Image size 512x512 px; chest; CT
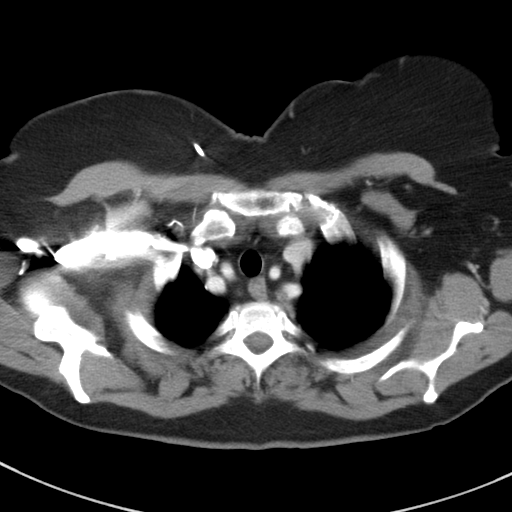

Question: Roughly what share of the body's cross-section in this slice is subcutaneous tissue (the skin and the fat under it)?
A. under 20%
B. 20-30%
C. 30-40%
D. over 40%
Answer: C. 30-40%
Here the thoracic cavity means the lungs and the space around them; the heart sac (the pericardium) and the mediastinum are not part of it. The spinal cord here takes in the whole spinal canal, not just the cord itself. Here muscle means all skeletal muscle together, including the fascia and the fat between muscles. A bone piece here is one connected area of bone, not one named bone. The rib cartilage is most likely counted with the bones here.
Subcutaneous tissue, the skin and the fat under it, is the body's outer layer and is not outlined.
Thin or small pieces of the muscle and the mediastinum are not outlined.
Outlines (x, y in pixels):
mediastinum: (259, 232) (276, 234) (278, 237) (301, 238) (305, 233) (309, 237) (316, 235) (310, 258) (306, 260) (299, 275) (301, 295) (295, 307) (295, 322) (280, 303) (270, 300) (247, 300) (233, 305) (225, 298) (211, 294) (183, 261) (186, 251) (192, 247) (191, 244) (232, 242)
bones 1: (247, 188) (310, 192) (333, 202) (349, 220) (355, 239) (327, 242) (319, 229) (318, 217) (310, 210) (297, 213) (305, 227) (301, 237) (278, 236) (275, 222) (279, 215) (244, 216) (230, 211) (229, 214) (236, 225) (231, 238) (193, 242) (189, 233) (209, 207) (212, 192)
bones 2: (247, 301) (270, 301) (280, 304) (304, 332) (295, 340) (302, 345) (309, 341) (314, 346) (314, 351) (287, 353) (276, 359) (262, 373) (258, 389) (254, 371) (243, 359) (232, 354) (222, 354) (213, 358) (208, 355) (209, 349) (223, 338) (211, 335) (217, 326) (232, 306), around a hole outlined by (255, 332) (260, 332) (261, 333) (266, 334) (272, 340) (272, 343) (269, 347) (268, 347) (265, 350) (261, 352) (259, 352) (258, 353) (256, 353) (252, 351) (248, 347) (248, 346) (245, 343) (244, 341) (244, 340) (248, 336) (249, 336) (251, 334)
bones 3: (28, 286) (46, 288) (55, 301) (67, 309) (72, 319) (97, 335) (97, 342) (113, 355) (114, 360) (87, 351) (82, 355) (80, 382) (90, 398) (90, 403) (81, 404) (76, 401) (60, 373) (59, 364) (63, 355) (60, 345) (35, 337) (34, 319) (20, 300) (22, 292)
bones 4: (460, 320) (481, 321) (483, 330) (465, 334) (457, 344) (455, 352) (439, 365) (434, 377) (434, 387) (438, 397) (432, 404) (426, 404) (422, 400) (428, 378) (421, 371) (403, 369) (382, 381) (378, 380) (401, 360) (413, 358) (425, 361) (439, 355) (448, 347) (454, 326)
bones 5: (381, 234) (386, 234) (389, 236) (402, 251) (406, 260) (406, 278) (405, 279) (405, 287) (403, 297) (393, 319) (385, 327) (378, 330) (384, 324) (386, 316) (390, 309) (390, 304) (392, 299) (392, 287) (390, 282) (383, 275) (380, 257) (377, 248) (376, 242) (377, 238)
bones 6: (407, 323) (410, 323) (410, 325) (400, 344) (383, 360) (367, 370) (360, 372) (356, 372) (351, 374) (339, 373) (335, 371) (331, 371) (318, 363) (318, 359) (320, 358) (325, 358) (326, 357) (355, 358) (363, 354) (368, 353) (386, 342) (391, 338) (400, 328) (404, 326)
bones 7: (176, 241) (178, 241) (179, 242) (185, 242) (187, 243) (190, 247) (191, 247) (188, 248) (185, 252) (183, 253) (182, 261) (175, 279) (172, 281) (169, 281) (163, 287) (162, 290) (157, 294) (153, 288) (152, 280) (151, 279) (153, 263) (159, 253) (161, 252) (164, 248)
bones 8: (125, 307) (127, 307) (128, 308) (136, 307) (167, 340) (168, 342) (168, 345) (173, 350) (173, 353) (172, 354) (166, 354) (165, 353) (162, 353) (161, 352) (156, 351) (142, 343) (133, 334) (133, 333) (128, 327) (127, 324) (124, 320) (123, 309)
thoracic cavity 1: (320, 232) (323, 239) (329, 244) (343, 240) (353, 241) (356, 237) (363, 242) (376, 256) (378, 255) (382, 275) (391, 287) (389, 309) (383, 324) (366, 339) (338, 351) (322, 347) (296, 323) (296, 307) (302, 295) (301, 271) (307, 260) (311, 258) (316, 245) (317, 235)
thoracic cavity 2: (182, 262) (193, 272) (198, 280) (208, 290) (208, 292) (211, 295) (215, 297) (221, 297) (232, 305) (229, 308) (226, 315) (216, 326) (209, 337) (203, 343) (195, 347) (184, 347) (167, 339) (154, 325) (154, 312) (153, 311) (157, 296) (169, 282) (172, 282) (176, 279)
muscle 1: (388, 151) (425, 158) (437, 177) (459, 193) (430, 189) (435, 200) (413, 204) (425, 208) (434, 226) (431, 240) (417, 251) (427, 279) (447, 271) (487, 274) (495, 251) (511, 247) (510, 353) (439, 396) (435, 377) (440, 365) (465, 335) (484, 330) (481, 320) (460, 319) (439, 354) (401, 359) (377, 378) (382, 382) (403, 370) (421, 372) (427, 378) (421, 400) (429, 405) (356, 421) (274, 400) (237, 399) (169, 419) (113, 403) (88, 404) (80, 375) (84, 353) (115, 357) (46, 287) (34, 285) (19, 300) (33, 319) (34, 337) (61, 348) (58, 371) (73, 397) (45, 377) (0, 365) (0, 249) (9, 248) (19, 233) (46, 223) (54, 206) (41, 198) (56, 194) (80, 169) (122, 158) (154, 170) (213, 170) (261, 181) with holes at (247, 188) (316, 194) (346, 215) (355, 236) (376, 256) (377, 238) (386, 234) (406, 260) (403, 297) (385, 327) (338, 351) (304, 332) (295, 340) (311, 342) (314, 351) (280, 356) (262, 373) (258, 389) (243, 359) (208, 355) (222, 337) (210, 335) (195, 347) (168, 339) (173, 353) (166, 354) (142, 343) (123, 314) (125, 307) (136, 307) (154, 324) (152, 267) (168, 245) (277, 233) (279, 215) (230, 211) (236, 223) (231, 238) (191, 241) (213, 191) and at (407, 323) (410, 323) (410, 325) (400, 344) (383, 360) (367, 370) (360, 372) (356, 372) (351, 374) (339, 373) (335, 371) (331, 371) (318, 363) (318, 359) (320, 358) (325, 358) (326, 357) (355, 358) (363, 354) (368, 353) (386, 342) (391, 338) (400, 328) (404, 326)
muscle 2: (304, 211) (310, 211) (311, 212) (313, 212) (313, 213) (315, 214) (315, 215) (317, 217) (317, 219) (318, 220) (318, 229) (319, 230) (319, 232) (316, 234) (313, 234) (312, 236) (309, 236) (306, 234) (306, 227) (302, 219) (298, 214) (298, 213) (300, 212) (303, 212)
torso: (418, 51) (459, 59) (487, 81) (499, 152) (511, 152) (511, 381) (430, 430) (261, 450) (89, 430) (0, 386) (0, 358) (41, 321) (57, 274) (39, 208) (3, 157) (27, 119) (76, 98) (138, 87) (183, 96) (237, 131) (262, 134) (307, 86) (348, 80) (380, 59)
right arm: (2, 157) (8, 163) (8, 165) (14, 169) (14, 171) (25, 185) (26, 189) (29, 192) (38, 208) (38, 212) (41, 216) (43, 227) (46, 232) (48, 242) (51, 247) (54, 261) (56, 263) (56, 274) (45, 313) (40, 321) (25, 341) (13, 353) (0, 357) (0, 158)
spinal cord: (255, 332) (260, 332) (261, 333) (266, 334) (272, 340) (272, 343) (269, 347) (268, 347) (265, 350) (261, 352) (259, 352) (258, 353) (256, 353) (252, 351) (248, 347) (248, 346) (245, 343) (244, 341) (244, 340) (248, 336) (249, 336) (251, 334)